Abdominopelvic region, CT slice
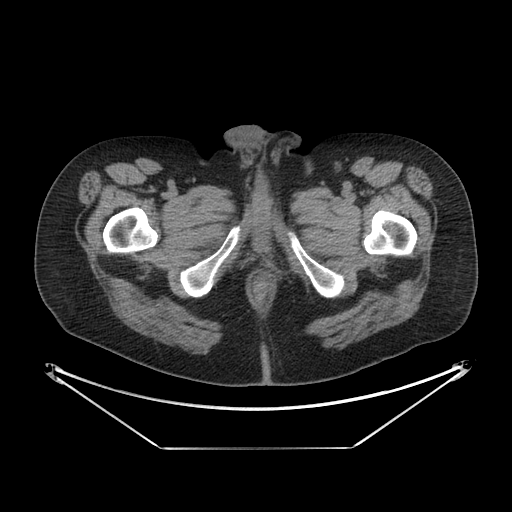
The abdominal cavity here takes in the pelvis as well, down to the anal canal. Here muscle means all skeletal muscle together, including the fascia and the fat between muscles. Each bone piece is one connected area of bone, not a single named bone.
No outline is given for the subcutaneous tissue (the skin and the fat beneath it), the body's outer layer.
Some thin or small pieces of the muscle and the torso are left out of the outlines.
Outlines:
torso: (240, 124) (293, 131) (303, 154) (325, 137) (355, 131) (407, 136) (439, 153) (462, 181) (474, 221) (478, 285) (464, 325) (345, 377) (248, 387) (170, 376) (63, 330) (39, 295) (33, 265) (40, 209) (65, 164) (98, 141) (138, 134) (188, 139) (206, 158)
bones 1: (134, 206) (140, 207) (145, 212) (148, 218) (149, 224) (157, 232) (158, 235) (157, 242) (155, 245) (152, 247) (131, 253) (123, 254) (122, 253) (110, 253) (108, 252) (104, 244) (103, 237) (102, 236) (103, 228) (107, 220) (113, 214) (123, 209) (129, 207) (133, 207)
bones 2: (381, 209) (387, 211) (390, 211) (397, 214) (400, 214) (410, 220) (413, 224) (417, 232) (417, 240) (412, 252) (409, 255) (395, 256) (390, 254) (370, 254) (365, 250) (362, 241) (364, 238) (364, 236) (367, 234) (371, 229) (371, 219) (373, 215) (378, 210)
bones 3: (236, 225) (240, 226) (240, 232) (239, 233) (238, 241) (234, 246) (233, 249) (219, 266) (213, 278) (214, 283) (211, 289) (207, 294) (201, 297) (196, 298) (187, 295) (184, 291) (180, 282) (179, 278) (180, 272) (183, 269) (195, 264) (215, 252) (224, 241) (230, 229)
bones 4: (288, 231) (292, 231) (296, 235) (302, 247) (313, 259) (333, 271) (340, 273) (343, 275) (344, 277) (344, 286) (340, 293) (336, 297) (333, 298) (326, 298) (320, 295) (316, 291) (312, 285) (310, 278) (306, 274) (301, 263) (290, 246) (289, 238) (287, 235) (287, 232)
muscle 1: (116, 156) (156, 160) (184, 189) (210, 184) (229, 189) (235, 200) (242, 229) (236, 265) (212, 289) (239, 241) (236, 224) (215, 251) (178, 274) (187, 296) (207, 295) (194, 303) (197, 313) (223, 325) (221, 340) (207, 354) (155, 341) (122, 323) (76, 238) (80, 179) with a hole at (134, 206) (140, 207) (145, 212) (148, 218) (149, 224) (157, 232) (158, 235) (157, 242) (155, 245) (152, 247) (131, 253) (123, 254) (122, 253) (110, 253) (108, 252) (104, 244) (103, 237) (102, 236) (103, 228) (107, 220) (113, 214) (123, 209) (129, 207) (133, 207)
muscle 2: (379, 152) (392, 152) (411, 158) (432, 182) (437, 228) (430, 252) (427, 287) (419, 309) (407, 320) (340, 350) (325, 348) (315, 335) (303, 331) (306, 324) (328, 312) (324, 309) (324, 301) (316, 296) (285, 248) (284, 234) (290, 198) (296, 190) (336, 185) (355, 160) with holes at (381, 209) (387, 211) (390, 211) (397, 214) (400, 214) (410, 220) (413, 224) (417, 232) (417, 240) (412, 252) (409, 255) (395, 256) (390, 254) (370, 254) (365, 250) (362, 241) (364, 238) (364, 236) (367, 234) (371, 229) (371, 219) (373, 215) (378, 210) and at (288, 231) (292, 231) (296, 235) (302, 247) (313, 259) (333, 271) (340, 273) (343, 275) (344, 277) (344, 286) (340, 293) (336, 297) (333, 298) (326, 298) (320, 295) (316, 291) (312, 285) (310, 278) (306, 274) (301, 263) (290, 246) (289, 238) (287, 235) (287, 232)
muscle 3: (259, 265) (261, 265) (271, 271) (278, 280) (278, 287) (277, 288) (275, 298) (273, 300) (272, 305) (268, 312) (267, 316) (265, 318) (259, 318) (256, 314) (256, 312) (252, 308) (248, 300) (244, 287) (245, 286) (246, 275) (254, 268) (257, 267) with a hole at (256, 276) (261, 276) (262, 277) (266, 277) (269, 280) (269, 289) (268, 290) (268, 298) (267, 299) (266, 302) (264, 304) (264, 305) (258, 305) (257, 302) (255, 300) (255, 298) (251, 294) (251, 284) (253, 282) (253, 279) (254, 278) (254, 277) (255, 277)
abdominal cavity: (256, 276) (261, 276) (262, 277) (266, 277) (269, 280) (269, 289) (268, 290) (268, 298) (267, 299) (266, 302) (264, 304) (264, 305) (258, 305) (257, 302) (255, 300) (255, 298) (251, 294) (251, 284) (253, 282) (253, 279) (254, 278) (254, 277) (255, 277)